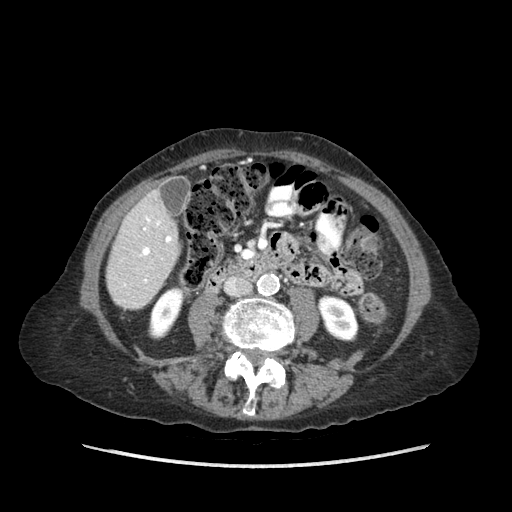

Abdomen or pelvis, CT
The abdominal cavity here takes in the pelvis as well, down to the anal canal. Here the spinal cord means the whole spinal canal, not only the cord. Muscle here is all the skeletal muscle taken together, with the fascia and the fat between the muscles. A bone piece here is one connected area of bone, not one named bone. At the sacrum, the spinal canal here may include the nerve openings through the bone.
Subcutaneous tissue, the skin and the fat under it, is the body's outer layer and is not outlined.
The abdominal cavity is outlined by 240,156 315,168 386,220 409,286 403,323 378,357 320,356 307,344 320,323 314,291 295,285 286,305 254,295 224,309 223,295 201,293 187,310 195,348 187,355 152,356 117,336 100,275 124,214 168,178. The spinal cord is outlined by 256,348 257,349 259,349 265,352 267,354 266,355 266,357 262,361 261,364 257,367 255,367 253,365 253,364 248,359 248,358 246,356 244,352 244,350 246,349 250,349 251,350 252,349 255,349. The torso is outlined by 217,127 322,136 350,151 391,187 435,241 459,294 479,321 477,357 459,382 412,405 324,429 220,433 189,424 162,425 124,417 32,373 17,345 21,322 31,304 63,271 100,198 128,170 160,149 194,132. The bones are outlined by 254,296 288,307 293,315 295,334 292,343 274,353 285,370 284,384 279,388 266,382 259,384 255,390 255,414 250,416 242,412 249,393 243,377 232,380 224,374 225,361 234,347 222,333 221,321 230,304 with a hole at 256,348 257,349 259,349 265,352 267,354 266,355 266,357 262,361 261,364 257,367 255,367 253,365 253,364 248,359 248,358 246,356 244,352 244,350 246,349 250,349 251,350 252,349 255,349. The muscle is outlined by 233,147 245,151 255,151 256,150 259,151 270,151 278,149 279,150 281,149 289,149 290,150 298,151 316,157 332,166 345,171 349,174 357,176 373,185 383,192 398,208 399,211 402,214 403,217 406,220 419,241 428,265 432,295 429,302 424,307 419,319 416,322 414,327 407,336 406,339 391,356 383,361 381,365 374,368 360,379 359,381 356,382 347,393 332,403 328,407 320,409 317,411 314,411 308,414 297,415 285,419 242,420 233,417 220,417 210,413 205,413 197,411 188,408 183,405 177,404 173,402 170,397 156,384 150,373 145,368 134,361 130,357 125,355 119,350 116,349 107,341 100,330 94,316 87,312 79,304 79,290 83,275 83,260 84,259 85,251 94,228 99,218 107,207 125,191 138,183 141,180 151,175 153,175 157,172 171,167 191,156 196,155 202,152 218,148 232,148, around a hole outlined by 240,156 304,164 362,196 409,272 403,323 378,357 320,356 307,344 314,291 288,287 294,340 274,353 285,382 259,384 251,416 243,377 224,374 223,295 191,302 195,350 165,357 128,347 100,295 140,197.